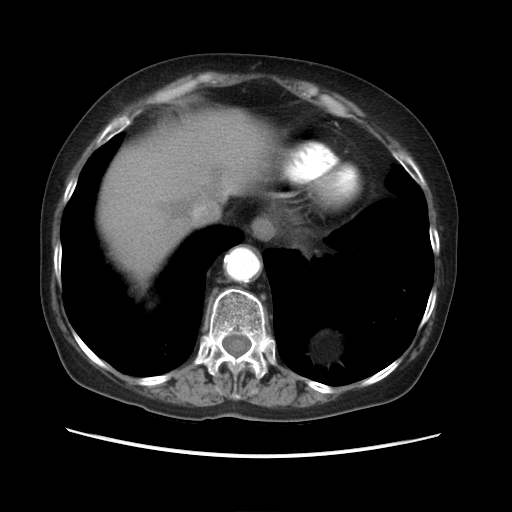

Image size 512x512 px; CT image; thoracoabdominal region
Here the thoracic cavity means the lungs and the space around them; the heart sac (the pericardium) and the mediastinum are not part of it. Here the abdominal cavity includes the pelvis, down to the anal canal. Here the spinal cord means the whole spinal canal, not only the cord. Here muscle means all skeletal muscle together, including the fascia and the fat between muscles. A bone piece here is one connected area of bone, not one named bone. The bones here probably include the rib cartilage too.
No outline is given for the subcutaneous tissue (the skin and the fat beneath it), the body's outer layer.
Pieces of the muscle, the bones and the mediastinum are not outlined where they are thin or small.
The thoracic cavity appears in 2 outlined pieces: piece 1: [[397,164],[421,188],[433,254],[432,285],[417,329],[397,358],[363,379],[332,386],[300,375],[277,355],[276,341],[268,331],[273,301],[262,254],[276,247],[296,250],[308,262],[335,256],[338,252],[323,241],[326,236],[374,202],[398,198],[386,185]]; inner edge: [[322,326],[330,326],[333,328],[337,328],[344,334],[345,337],[347,339],[347,349],[343,361],[344,363],[343,366],[334,365],[330,369],[326,369],[323,367],[317,367],[314,366],[306,356],[305,353],[306,352],[306,344],[308,341],[308,339],[316,330]]; piece 2: [[123,131],[99,180],[92,224],[104,262],[138,310],[156,314],[162,309],[162,274],[193,234],[215,226],[243,234],[206,271],[202,315],[208,318],[195,355],[165,373],[138,377],[122,373],[87,345],[67,315],[62,291],[60,231],[66,204],[90,156]]. The abdominal cavity appears in 3 outlined pieces: piece 1: [[253,79],[272,80],[319,106],[311,108],[303,123],[277,129],[261,164],[267,195],[249,201],[236,219],[188,237],[159,279],[161,309],[142,311],[126,294],[125,285],[105,262],[98,245],[93,212],[100,180],[124,138],[124,130],[136,116],[194,90]]; piece 2: [[322,326],[330,326],[333,328],[337,328],[344,334],[345,337],[347,339],[347,349],[343,361],[344,363],[343,366],[334,365],[330,369],[326,369],[323,367],[317,367],[314,366],[306,356],[305,353],[306,352],[306,344],[308,341],[308,339],[316,330]]; piece 3: [[286,224],[289,224],[290,225],[301,225],[317,232],[330,232],[322,239],[322,241],[324,244],[328,247],[335,250],[337,253],[335,255],[327,255],[319,258],[317,257],[313,257],[308,261],[305,259],[296,249],[289,249],[284,247],[277,247],[276,246]]. The muscle appears in 3 outlined pieces: piece 1: [[106,124],[95,142],[97,148],[79,175],[72,177],[65,186],[60,240],[54,245],[52,254],[54,274],[73,328],[71,334],[92,362],[101,368],[107,370],[109,365],[122,374],[137,377],[135,382],[140,386],[155,386],[168,381],[171,378],[168,372],[194,356],[192,363],[204,365],[214,377],[218,375],[220,366],[226,363],[235,381],[237,374],[245,368],[261,379],[270,365],[277,365],[277,356],[288,368],[302,376],[311,389],[322,394],[332,394],[335,392],[334,387],[361,380],[361,387],[378,382],[334,400],[307,407],[272,408],[243,400],[226,400],[211,406],[184,406],[137,393],[114,382],[86,361],[64,337],[51,306],[51,235],[54,212],[65,180],[83,151]]; inner edge: [[234,392],[235,392],[236,393],[237,393],[238,394],[239,395],[240,396],[240,397],[240,398],[239,399],[238,399],[237,399],[236,399],[235,399],[234,399],[233,399],[232,398],[231,398],[231,397],[231,396],[231,395],[232,394],[233,393]]; piece 2: [[204,71],[241,74],[266,73],[284,77],[302,78],[335,90],[341,95],[354,102],[361,109],[388,129],[411,154],[421,172],[408,154],[401,150],[388,150],[377,137],[361,123],[352,118],[354,116],[353,114],[344,104],[329,94],[319,93],[316,87],[310,87],[307,90],[307,92],[310,96],[317,96],[318,105],[301,98],[279,83],[269,78],[253,78],[226,86],[208,86],[192,90],[198,84],[202,82],[207,82],[211,79],[211,77],[208,74],[201,74],[195,78],[192,78],[180,84],[158,91],[149,100],[150,103],[156,104],[152,105],[151,107],[136,115],[133,119],[133,114],[122,114],[112,118],[128,104],[152,93],[164,85],[187,74],[196,74]]; piece 3: [[424,177],[432,194],[433,202],[437,212],[437,221],[442,227],[440,232],[441,262],[442,263],[440,293],[438,303],[436,307],[436,315],[434,319],[432,329],[422,350],[414,359],[405,366],[402,368],[396,369],[402,361],[400,356],[410,345],[417,330],[422,328],[429,319],[435,307],[437,299],[437,290],[432,286],[434,279],[434,255],[437,256],[440,252],[440,237],[437,228],[429,223],[427,202],[422,190],[426,186]]. The spinal cord is outlined by [[231,335],[242,335],[243,336],[245,336],[249,340],[250,342],[250,346],[249,348],[245,352],[244,352],[242,354],[238,356],[234,356],[230,353],[229,353],[223,346],[222,344],[222,342],[223,341],[223,339],[225,337],[227,336],[230,336]]. The mediastinum appears in 2 outlined pieces: piece 1: [[265,196],[269,197],[285,222],[276,245],[266,247],[261,254],[271,293],[272,318],[267,320],[268,313],[257,296],[232,286],[220,291],[211,304],[209,315],[203,315],[208,269],[218,256],[238,245],[244,238],[240,229],[218,225],[236,220],[249,202]]; piece 2: [[315,107],[324,108],[334,116],[354,120],[361,124],[383,144],[398,163],[392,166],[385,178],[386,187],[397,198],[387,197],[374,201],[352,219],[374,197],[375,184],[370,161],[339,125],[315,120],[306,120],[308,119],[308,116],[313,109],[312,108]]. The bones appear in 13 outlined pieces: piece 1: [[230,287],[253,294],[267,313],[267,331],[275,341],[277,363],[270,364],[261,378],[257,378],[248,367],[245,367],[236,374],[235,380],[226,362],[219,366],[217,375],[214,376],[208,372],[204,364],[193,363],[200,337],[206,332],[212,304],[220,292]], around a hole outlined by [[231,335],[242,335],[243,336],[245,336],[249,340],[250,342],[250,346],[249,348],[245,352],[244,352],[242,354],[238,356],[234,356],[230,353],[229,353],[223,346],[222,344],[222,342],[223,341],[223,339],[225,337],[227,336],[230,336]]; piece 2: [[201,75],[208,75],[210,77],[210,79],[207,81],[202,81],[198,83],[191,91],[189,91],[183,95],[181,95],[179,97],[173,99],[169,102],[163,102],[162,103],[152,103],[150,102],[150,100],[158,92],[180,85],[192,79],[195,79],[198,76]]; piece 3: [[310,88],[316,88],[319,94],[327,94],[329,95],[344,105],[348,111],[351,113],[353,116],[351,118],[349,117],[342,117],[341,116],[337,116],[330,113],[324,107],[321,106],[318,103],[319,102],[319,99],[317,95],[310,95],[309,94],[308,90]]; piece 4: [[122,115],[128,115],[129,116],[132,116],[133,115],[131,123],[127,127],[126,127],[125,129],[115,134],[102,145],[101,145],[99,147],[97,147],[96,146],[96,142],[98,138],[102,133],[103,130],[108,124],[108,123],[113,118],[115,117],[119,117]]; piece 5: [[391,150],[396,150],[397,151],[401,151],[408,155],[411,158],[411,159],[414,162],[414,163],[418,168],[419,171],[421,173],[424,179],[425,186],[423,188],[422,188],[412,178],[412,177],[406,171],[406,170],[392,155],[392,154],[390,152]]; piece 6: [[399,357],[401,359],[401,361],[395,368],[395,369],[394,369],[388,375],[387,375],[384,378],[381,379],[379,381],[377,381],[372,384],[366,385],[365,386],[361,386],[361,382],[362,380],[375,374],[380,370],[386,367],[389,364],[390,364]]; piece 7: [[72,329],[73,329],[76,332],[76,333],[81,338],[81,339],[86,344],[86,345],[97,356],[98,356],[102,360],[108,364],[108,368],[107,369],[106,368],[101,367],[92,361],[87,356],[87,355],[82,350],[74,338],[72,334]]; piece 8: [[58,241],[60,241],[60,242],[61,243],[61,287],[60,287],[58,284],[58,281],[57,280],[57,278],[56,277],[56,275],[55,274],[55,271],[54,270],[54,264],[53,263],[53,254],[54,253],[54,248],[55,247],[55,245],[57,243],[57,242]]; piece 9: [[432,288],[434,288],[436,290],[436,299],[435,300],[435,304],[434,305],[434,307],[428,319],[426,321],[426,322],[422,326],[422,327],[418,329],[418,326],[422,319],[423,314],[425,311],[425,308],[427,304],[427,301],[429,297],[429,294]]; piece 10: [[166,373],[168,373],[170,375],[170,378],[168,380],[162,383],[160,383],[159,384],[156,384],[155,385],[140,385],[136,382],[136,380],[137,378],[139,377],[148,377],[149,376],[156,376],[157,375],[161,375],[162,374],[165,374]]; piece 11: [[304,377],[305,378],[307,378],[308,379],[310,379],[311,380],[313,380],[314,381],[316,381],[317,382],[319,382],[320,383],[331,386],[333,387],[334,389],[334,392],[332,393],[322,393],[319,391],[317,391],[311,388],[306,383],[304,379]]; piece 12: [[429,225],[431,225],[432,226],[435,227],[436,228],[436,229],[437,230],[437,232],[438,233],[438,236],[439,237],[439,252],[437,255],[436,254],[434,254],[433,253],[433,251],[432,250],[432,247],[431,246],[431,242],[430,241],[430,236],[429,235]]; piece 13: [[74,177],[77,177],[77,182],[76,183],[76,185],[74,188],[74,190],[73,191],[73,192],[72,193],[70,198],[65,204],[63,202],[63,196],[64,195],[64,192],[65,191],[65,189],[66,188],[66,186],[68,184],[69,181],[72,178],[73,178]]. The pericardium is outlined by [[307,121],[339,126],[367,158],[371,168],[374,184],[373,197],[346,224],[335,231],[317,231],[301,224],[286,223],[282,213],[265,189],[266,174],[262,170],[264,165],[262,164],[278,137],[276,136],[278,129],[288,125],[299,126]]. The torso is outlined by [[203,52],[293,57],[351,72],[403,103],[434,139],[457,201],[457,274],[439,342],[419,379],[397,399],[295,423],[231,417],[188,421],[150,413],[91,391],[76,383],[62,366],[43,316],[39,294],[40,212],[52,163],[79,119],[113,84],[152,63]].